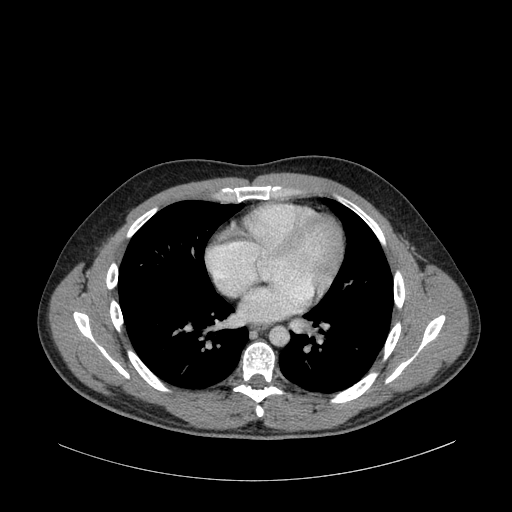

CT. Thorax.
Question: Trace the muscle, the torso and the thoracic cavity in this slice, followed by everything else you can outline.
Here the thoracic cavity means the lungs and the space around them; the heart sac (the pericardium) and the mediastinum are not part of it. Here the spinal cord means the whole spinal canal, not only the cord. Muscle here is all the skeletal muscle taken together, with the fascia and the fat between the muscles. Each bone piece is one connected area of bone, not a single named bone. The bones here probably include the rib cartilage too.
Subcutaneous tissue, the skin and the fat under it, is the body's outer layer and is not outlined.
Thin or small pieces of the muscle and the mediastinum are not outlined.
Answer: The muscle is outlined by [[284,431],[332,428],[345,422],[362,410],[375,407],[391,399],[398,393],[402,393],[429,383],[440,370],[441,371],[449,366],[458,357],[468,338],[470,331],[470,319],[468,308],[459,286],[444,271],[423,259],[415,251],[415,248],[408,240],[405,239],[371,203],[347,186],[329,178],[294,172],[272,172],[259,175],[252,181],[241,177],[217,177],[191,181],[169,187],[156,193],[134,207],[128,213],[125,222],[102,242],[97,251],[84,262],[78,263],[56,286],[49,301],[47,314],[51,337],[55,346],[67,367],[80,381],[106,395],[121,396],[147,405],[160,407],[174,416],[186,421],[189,425],[195,427],[206,429],[228,429],[243,426],[251,421],[260,421],[266,427]], around holes outlined by [[259,417],[263,415],[260,402],[265,397],[286,393],[275,384],[278,379],[312,391],[334,392],[331,403],[358,397],[379,373],[369,369],[379,352],[385,361],[399,337],[401,323],[397,320],[392,326],[391,314],[394,306],[401,309],[405,298],[401,272],[390,271],[382,249],[385,237],[378,224],[337,193],[332,199],[305,196],[307,191],[298,187],[250,185],[220,188],[210,194],[209,200],[183,200],[160,210],[155,206],[131,224],[121,263],[113,261],[107,270],[107,287],[116,287],[119,296],[117,301],[110,301],[112,322],[118,332],[125,326],[133,347],[126,349],[127,356],[150,385],[164,392],[171,391],[166,382],[203,388],[234,371],[238,381],[231,389],[254,400]] and by [[385,383],[388,383],[397,377],[401,373],[403,369],[414,359],[421,349],[427,343],[436,337],[445,320],[445,315],[444,314],[439,315],[437,317],[432,319],[428,323],[424,330],[421,342],[416,350],[410,357],[401,362],[394,369],[385,379],[384,382]] and by [[127,379],[129,378],[128,372],[123,368],[118,362],[113,359],[108,354],[105,349],[94,338],[92,334],[92,331],[90,328],[88,316],[85,313],[79,312],[78,311],[74,311],[73,312],[74,320],[82,334],[90,339],[111,364]]. The torso is outlined by [[258,440],[337,435],[377,422],[445,385],[477,347],[479,309],[451,255],[413,204],[389,181],[360,163],[308,154],[255,164],[184,158],[149,166],[121,183],[79,224],[59,253],[42,291],[37,309],[41,346],[57,374],[78,394],[117,414],[164,429]]. The thoracic cavity appears in 2 outlined pieces: piece 1: [[187,388],[203,388],[228,377],[239,366],[240,356],[248,338],[243,319],[234,307],[217,293],[204,263],[204,250],[208,239],[221,223],[243,207],[242,203],[222,204],[210,200],[183,200],[161,209],[130,239],[119,265],[118,301],[133,349],[162,380]]; piece 2: [[325,393],[336,392],[350,386],[369,370],[391,326],[393,308],[392,274],[379,242],[355,213],[327,197],[322,198],[322,202],[340,220],[345,232],[344,258],[328,291],[320,301],[291,324],[290,341],[280,353],[276,363],[276,369],[292,383],[308,390]]. The pericardium is outlined by [[252,322],[279,320],[294,316],[301,317],[315,305],[327,291],[342,261],[345,247],[345,236],[342,226],[339,220],[329,210],[318,204],[298,200],[261,200],[238,212],[212,236],[205,250],[205,263],[210,279],[218,293],[233,302],[236,310],[246,321]]. The bones appear in 12 outlined pieces: piece 1: [[259,417],[263,415],[260,402],[265,397],[271,394],[286,393],[275,384],[275,381],[279,379],[285,383],[289,382],[275,369],[276,356],[271,347],[263,341],[253,342],[244,349],[240,366],[235,371],[238,381],[231,389],[254,400],[256,403],[255,412]] with a hole at [[254,388],[261,388],[262,387],[263,387],[265,385],[266,385],[266,383],[265,382],[265,380],[264,379],[264,378],[262,375],[261,375],[260,374],[255,374],[254,375],[253,375],[249,380],[249,381],[248,382],[248,384],[249,384],[250,385],[251,385]]; piece 2: [[222,203],[229,202],[236,203],[241,202],[246,199],[269,199],[270,198],[300,196],[304,195],[307,191],[303,188],[290,186],[284,187],[280,185],[274,186],[271,185],[265,186],[250,185],[234,188],[223,187],[210,194],[211,200],[218,201]]; piece 3: [[385,383],[388,383],[397,377],[401,373],[403,369],[414,359],[421,349],[427,343],[436,337],[445,320],[445,315],[444,314],[439,315],[437,317],[432,319],[428,323],[424,330],[421,342],[416,350],[410,357],[401,362],[394,369],[385,379],[384,382]]; piece 4: [[331,403],[343,403],[349,400],[354,399],[361,395],[367,389],[368,389],[368,388],[373,383],[379,373],[378,371],[376,370],[370,370],[360,380],[359,380],[356,383],[355,383],[350,387],[333,394],[332,397],[329,400],[329,401]]; piece 5: [[127,379],[129,378],[128,372],[123,368],[118,362],[113,359],[108,354],[105,349],[94,338],[92,334],[92,331],[90,328],[88,316],[85,313],[79,312],[78,311],[74,311],[73,312],[74,320],[82,334],[90,339],[111,364]]; piece 6: [[164,392],[170,392],[171,390],[163,381],[162,381],[157,376],[156,376],[143,363],[143,362],[138,357],[138,356],[135,353],[132,348],[127,348],[126,349],[126,353],[127,354],[127,356],[138,373],[150,385],[151,385],[154,388],[160,391],[163,391]]; piece 7: [[383,248],[384,248],[386,245],[385,237],[382,230],[378,224],[359,206],[350,200],[347,199],[345,197],[337,193],[333,193],[332,194],[333,198],[339,202],[342,203],[351,209],[354,212],[355,212],[369,226],[369,227],[373,231],[377,237]]; piece 8: [[382,361],[385,361],[387,359],[393,350],[399,337],[399,335],[401,331],[401,323],[400,321],[398,320],[397,320],[391,327],[387,336],[387,338],[385,341],[385,343],[383,346],[383,348],[382,349],[382,352],[383,353],[383,355],[382,356]]; piece 9: [[398,309],[401,309],[401,308],[402,307],[402,305],[403,304],[403,301],[405,298],[405,288],[404,287],[404,282],[403,281],[403,278],[402,277],[401,272],[398,269],[396,269],[393,274],[393,289],[394,290],[394,306],[395,307],[396,307]]; piece 10: [[128,239],[129,239],[134,234],[134,233],[149,218],[150,218],[158,210],[159,210],[159,207],[158,207],[157,206],[155,206],[154,207],[149,209],[143,214],[142,214],[140,216],[139,216],[131,224],[131,225],[129,227],[129,228],[126,233],[126,237]]; piece 11: [[118,332],[121,332],[122,330],[122,327],[123,326],[123,317],[122,316],[121,310],[120,309],[120,307],[119,306],[118,302],[114,298],[111,298],[110,304],[109,305],[109,312],[110,313],[110,316],[111,317],[112,322],[116,330]]; piece 12: [[110,290],[111,290],[115,287],[116,287],[116,286],[117,285],[117,276],[118,275],[118,264],[114,261],[113,261],[110,264],[110,265],[107,270],[107,274],[106,275],[106,284],[107,285],[107,287],[108,288],[108,289],[109,289]]. The spinal cord is outlined by [[254,388],[261,388],[262,387],[263,387],[265,385],[266,385],[266,383],[265,382],[265,380],[264,379],[264,378],[262,375],[261,375],[260,374],[255,374],[254,375],[253,375],[249,380],[249,381],[248,382],[248,384],[249,384],[250,385],[251,385]]. The mediastinum appears in 3 outlined pieces: piece 1: [[277,360],[279,353],[289,341],[290,338],[289,326],[294,320],[298,318],[294,317],[279,321],[270,321],[260,323],[252,323],[247,321],[246,322],[244,320],[247,325],[249,332],[249,338],[246,346],[253,341],[263,340],[267,342],[272,347],[277,356]]; piece 2: [[328,209],[329,209],[328,207],[323,204],[320,200],[321,198],[323,197],[323,196],[304,196],[303,197],[301,196],[300,197],[291,197],[290,198],[284,198],[291,198],[292,199],[298,199],[299,200],[303,200],[304,201],[311,201],[314,203],[318,203]]; piece 3: [[214,233],[215,233],[215,232],[217,231],[217,230],[219,229],[219,228],[221,227],[222,225],[226,223],[228,220],[227,220],[225,222],[221,224],[217,228],[217,229],[214,232]].